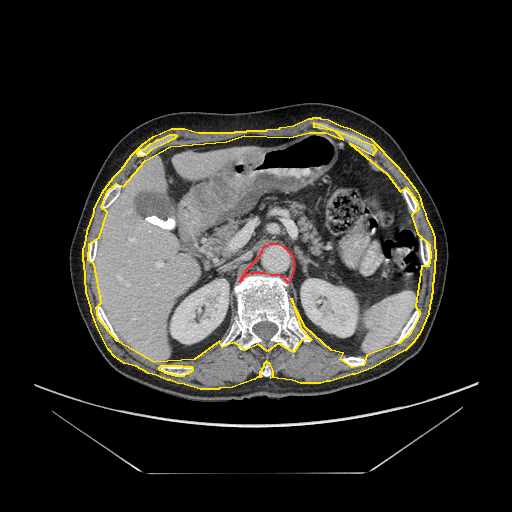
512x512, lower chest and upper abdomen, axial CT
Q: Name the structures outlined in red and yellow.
A: red: mediastinum; yellow: muscle.
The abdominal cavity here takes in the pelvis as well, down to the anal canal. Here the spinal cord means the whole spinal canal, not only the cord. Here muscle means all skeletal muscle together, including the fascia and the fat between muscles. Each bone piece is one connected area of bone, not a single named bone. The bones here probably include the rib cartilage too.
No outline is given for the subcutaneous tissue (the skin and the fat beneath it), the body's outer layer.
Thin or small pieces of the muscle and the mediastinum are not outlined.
{"mediastinum":[[[270,243],[277,243],[283,246],[292,255],[292,258],[293,259],[293,269],[289,282],[288,283],[284,277],[282,277],[279,275],[271,275],[264,273],[251,273],[250,272],[244,276],[239,282],[247,268],[256,259],[262,251],[263,247],[265,245],[267,245]]],"muscle":[{"outer":[[313,117],[319,117],[320,118],[328,119],[340,125],[350,128],[370,138],[396,165],[407,178],[416,190],[419,196],[422,207],[425,213],[426,219],[431,228],[434,237],[435,260],[434,261],[434,273],[433,274],[433,282],[432,283],[432,293],[431,294],[431,299],[430,300],[428,313],[419,334],[412,343],[405,350],[371,368],[355,374],[352,374],[330,381],[326,381],[320,383],[300,383],[292,380],[270,377],[273,376],[273,370],[270,364],[266,361],[263,364],[263,367],[259,372],[259,374],[261,376],[260,377],[257,377],[254,379],[232,387],[219,388],[218,389],[200,389],[184,384],[177,383],[170,380],[167,380],[156,375],[148,373],[136,366],[124,363],[115,357],[108,349],[97,327],[91,311],[91,308],[86,292],[84,262],[83,261],[83,249],[85,244],[87,231],[94,212],[94,209],[102,192],[113,177],[121,169],[131,155],[142,144],[153,136],[171,128],[184,128],[198,132],[234,132],[235,131],[246,131],[247,130],[266,130],[267,129],[279,128],[280,127],[293,125],[308,118],[312,118]],"holes":[[[314,122],[372,144],[376,149],[372,155],[349,143],[387,174],[400,191],[406,187],[416,200],[418,209],[411,215],[417,233],[429,244],[430,256],[428,266],[421,266],[415,306],[420,313],[410,333],[399,343],[366,355],[363,365],[352,367],[340,359],[343,353],[331,350],[305,327],[291,298],[300,327],[311,339],[301,340],[293,352],[278,343],[267,351],[258,344],[245,350],[234,342],[222,347],[219,341],[194,359],[154,362],[117,341],[98,318],[96,307],[101,302],[94,264],[88,260],[89,243],[99,237],[107,212],[101,207],[107,191],[116,183],[123,186],[145,160],[170,146],[226,141],[244,135],[289,137],[309,132],[325,132],[343,139],[335,131],[314,127]],[[161,365],[181,365],[182,366],[191,366],[192,367],[192,370],[190,372],[189,372],[187,374],[186,374],[183,376],[176,376],[175,375],[172,375],[171,374],[168,374],[167,373],[165,373],[163,371],[162,371],[161,370],[160,370],[159,369],[159,367]],[[169,134],[175,134],[176,135],[176,136],[173,139],[171,139],[167,142],[150,150],[145,155],[143,156],[138,156],[137,154],[137,151],[139,149],[144,149],[150,143],[155,141],[157,139],[159,139]]]}],"bones":[{"outer":[[250,273],[279,276],[285,279],[288,284],[287,290],[290,295],[291,306],[300,327],[311,339],[310,342],[301,340],[293,352],[278,343],[275,343],[267,351],[258,344],[245,350],[240,350],[234,342],[223,347],[220,345],[236,316],[234,287]],"hole":[[266,321],[267,321],[268,322],[271,322],[272,323],[275,324],[277,327],[277,330],[276,331],[276,332],[267,341],[265,341],[259,336],[258,336],[254,332],[254,331],[253,330],[253,327],[254,326],[254,325],[255,325],[260,322],[265,322]]},[[314,122],[322,122],[328,124],[330,126],[336,128],[341,131],[356,135],[362,139],[366,140],[375,147],[376,149],[376,154],[375,155],[370,154],[359,145],[346,140],[341,135],[335,131],[333,131],[330,129],[319,129],[314,127],[313,126],[313,123]],[[416,308],[418,308],[420,310],[419,317],[417,320],[416,324],[414,326],[410,333],[404,339],[403,339],[399,343],[397,344],[394,344],[393,342],[398,337],[398,336],[402,331],[402,329],[404,327],[404,326],[410,318],[411,315],[413,313],[414,310]],[[161,365],[181,365],[182,366],[191,366],[192,367],[192,370],[190,372],[189,372],[187,374],[186,374],[183,376],[176,376],[175,375],[172,375],[171,374],[168,374],[167,373],[165,373],[163,371],[162,371],[161,370],[160,370],[159,369],[159,367]],[[97,305],[100,305],[103,309],[103,311],[105,313],[105,315],[107,317],[109,322],[111,324],[114,331],[117,334],[117,335],[121,340],[122,343],[117,341],[105,329],[105,328],[99,320],[98,318],[98,316],[97,315],[97,312],[96,311],[96,307]],[[116,183],[118,183],[121,185],[121,189],[119,192],[119,195],[115,199],[115,200],[106,209],[102,209],[102,208],[101,207],[101,205],[102,204],[102,201],[103,200],[103,198],[104,197],[105,194],[107,192],[107,191],[113,185],[114,185]],[[169,134],[175,134],[176,135],[176,136],[173,139],[171,139],[167,142],[150,150],[145,155],[143,156],[138,156],[137,154],[137,151],[139,149],[144,149],[150,143],[155,141],[157,139],[159,139]],[[420,235],[422,235],[424,237],[424,238],[427,241],[427,242],[429,244],[429,249],[430,250],[430,256],[429,257],[429,263],[428,264],[428,266],[427,267],[425,267],[422,265],[422,262],[421,261],[421,258],[420,257],[420,246],[419,245],[419,236]],[[403,187],[406,187],[412,193],[412,194],[414,196],[416,200],[416,202],[417,203],[417,208],[418,209],[417,210],[417,212],[414,214],[412,214],[411,213],[408,207],[408,205],[406,202],[406,200],[404,198],[402,194],[401,189]],[[344,356],[361,356],[362,357],[364,357],[366,359],[366,362],[363,365],[360,365],[359,366],[357,366],[356,367],[352,367],[351,366],[350,366],[349,365],[348,365],[346,363],[345,363],[343,361],[342,361],[340,359],[340,358],[341,358]],[[94,238],[96,238],[97,239],[97,249],[96,250],[96,254],[95,255],[95,259],[94,260],[94,261],[93,262],[93,263],[90,263],[89,262],[89,261],[88,260],[88,247],[89,246],[89,243],[91,241],[91,240],[92,239],[93,239]],[[266,362],[267,362],[269,364],[269,365],[270,366],[270,367],[271,368],[271,369],[272,370],[272,376],[270,376],[269,377],[264,377],[263,376],[262,376],[260,374],[260,372],[263,369],[263,368],[264,367],[264,364]]],"spinal_cord":[[[266,321],[267,321],[268,322],[271,322],[272,323],[275,324],[277,327],[277,330],[276,331],[276,332],[267,341],[265,341],[259,336],[258,336],[254,332],[254,331],[253,330],[253,327],[254,326],[254,325],[255,325],[260,322],[265,322]]],"abdominal_cavity":[[[309,132],[343,139],[366,155],[395,182],[413,218],[421,285],[397,337],[365,356],[331,350],[305,327],[291,298],[292,253],[270,242],[233,287],[231,320],[218,342],[194,359],[174,362],[135,352],[106,315],[94,272],[105,215],[133,171],[170,146]]],"torso":[[[303,102],[339,105],[379,124],[398,143],[438,209],[447,237],[448,265],[440,305],[421,350],[375,380],[311,397],[197,401],[156,390],[118,373],[104,359],[87,330],[77,307],[69,269],[69,250],[79,217],[111,149],[137,125],[167,113],[235,113]]]}